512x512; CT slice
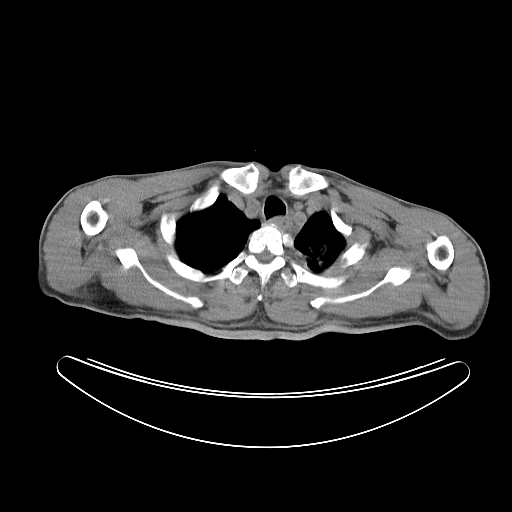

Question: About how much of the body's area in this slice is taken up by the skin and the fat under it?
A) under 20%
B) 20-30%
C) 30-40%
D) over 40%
Answer: A) under 20%
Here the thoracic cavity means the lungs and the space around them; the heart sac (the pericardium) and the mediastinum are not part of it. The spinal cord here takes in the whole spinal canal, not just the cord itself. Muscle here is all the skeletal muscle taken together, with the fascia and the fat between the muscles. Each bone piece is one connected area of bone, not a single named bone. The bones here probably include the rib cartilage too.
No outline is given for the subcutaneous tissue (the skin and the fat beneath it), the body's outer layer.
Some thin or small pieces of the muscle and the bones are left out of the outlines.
The mediastinum is outlined by [[269,190],[274,190],[286,196],[299,198],[303,200],[313,198],[319,202],[319,204],[323,209],[313,212],[293,237],[289,232],[284,231],[275,223],[272,222],[261,223],[257,218],[248,217],[230,201],[224,193],[230,191],[248,195],[260,194]]. The left arm is outlined by [[436,209],[451,216],[469,232],[477,241],[485,258],[489,274],[490,300],[485,317],[479,330],[472,336],[464,339],[448,340],[441,337],[435,332],[427,328],[425,305],[420,286],[420,276],[419,275],[420,253],[426,222],[430,217],[430,215]]. The spinal cord is outlined by [[264,250],[267,250],[272,255],[273,255],[273,257],[272,258],[272,259],[269,262],[268,262],[267,263],[264,263],[263,262],[261,262],[260,261],[259,261],[257,259],[257,257],[256,256],[256,255],[257,254],[258,254],[259,253],[261,253]]. The thoracic cavity appears in 2 outlined pieces: piece 1: [[220,194],[224,194],[227,199],[248,218],[257,219],[260,222],[260,225],[248,234],[245,246],[235,257],[222,266],[218,271],[213,273],[206,273],[198,268],[187,264],[181,260],[179,257],[175,247],[177,221],[188,213],[201,211],[210,207],[215,202]]; piece 2: [[322,210],[325,210],[329,213],[334,228],[345,240],[345,248],[339,253],[336,259],[324,272],[321,273],[315,273],[302,267],[300,265],[294,252],[294,247],[295,246],[294,238],[296,236],[296,234],[301,229],[303,225],[311,215],[315,212],[318,212]]. The torso is outlined by [[220,159],[257,160],[271,170],[276,170],[288,162],[327,168],[404,200],[434,208],[425,222],[419,253],[419,286],[426,328],[409,325],[367,333],[326,332],[300,340],[237,339],[87,309],[96,282],[114,253],[120,236],[122,195],[111,174],[144,173]]. The muscle is outlined by [[223,164],[245,164],[225,167],[218,175],[241,193],[220,193],[216,181],[179,219],[171,212],[159,218],[162,238],[175,248],[165,259],[179,276],[239,285],[252,270],[263,289],[281,270],[289,288],[342,285],[346,275],[322,273],[335,261],[344,269],[356,264],[369,243],[355,241],[346,248],[352,226],[335,208],[329,212],[313,197],[303,199],[286,195],[274,189],[252,193],[260,174],[255,164],[272,175],[295,165],[288,171],[287,188],[290,193],[292,195],[296,197],[300,197],[323,190],[329,186],[323,174],[310,170],[317,170],[451,221],[475,247],[483,273],[484,300],[475,319],[459,329],[416,312],[324,321],[301,329],[259,314],[243,322],[206,323],[51,287],[43,245],[53,216],[71,193],[110,178],[135,180]]; inner edges: [[393,266],[410,267],[411,268],[410,276],[399,285],[394,285],[390,282],[387,282],[382,284],[366,296],[341,303],[325,303],[319,308],[315,308],[310,304],[310,301],[312,299],[319,296],[342,296],[358,293],[366,290],[381,280],[384,277],[387,271]], then [[120,247],[133,248],[136,252],[139,262],[153,279],[169,289],[180,294],[185,296],[198,297],[203,302],[203,305],[201,307],[194,308],[190,304],[165,293],[151,284],[145,278],[139,268],[136,266],[132,266],[128,269],[124,269],[115,253],[115,250]], then [[438,235],[446,235],[451,241],[452,245],[453,246],[453,249],[454,250],[453,260],[449,267],[445,270],[439,270],[435,267],[434,267],[429,262],[429,260],[427,257],[427,250],[426,249],[426,244],[429,241],[433,240],[436,237],[436,236]], then [[91,200],[98,200],[100,202],[102,207],[106,211],[108,215],[108,218],[106,221],[106,223],[103,229],[98,233],[94,235],[91,235],[90,236],[89,235],[87,235],[83,231],[81,227],[81,224],[80,223],[80,215],[83,208],[86,205],[86,204]]. The bones appear in 11 outlined pieces: piece 1: [[262,223],[275,224],[291,235],[294,246],[289,254],[302,268],[346,276],[336,288],[304,282],[289,287],[281,269],[270,275],[263,288],[252,269],[239,284],[228,278],[194,281],[179,275],[166,259],[174,251],[187,265],[213,274],[238,255],[249,234]]; inner edge: [[264,250],[267,250],[272,255],[273,255],[273,257],[272,258],[272,259],[269,262],[268,262],[267,263],[264,263],[263,262],[261,262],[260,261],[259,261],[257,259],[257,257],[256,256],[256,255],[257,254],[258,254],[259,253],[261,253]]; piece 2: [[393,266],[410,267],[411,268],[410,276],[399,285],[394,285],[390,282],[387,282],[382,284],[366,296],[341,303],[325,303],[319,308],[315,308],[310,304],[310,301],[312,299],[319,296],[342,296],[358,293],[366,290],[381,280],[384,277],[387,271]]; piece 3: [[120,247],[133,248],[136,252],[139,262],[153,279],[169,289],[180,294],[185,296],[198,297],[203,302],[203,305],[201,307],[194,308],[190,304],[165,293],[151,284],[145,278],[139,268],[136,266],[132,266],[128,269],[124,269],[115,253],[115,250]]; piece 4: [[296,165],[300,165],[307,170],[309,170],[310,171],[312,171],[316,173],[319,173],[323,175],[328,182],[328,186],[323,189],[320,189],[319,190],[316,190],[315,191],[308,192],[300,196],[296,196],[292,194],[288,188],[288,183],[289,182],[289,171]]; piece 5: [[251,162],[257,167],[258,171],[259,172],[259,174],[258,175],[258,180],[257,181],[257,186],[255,190],[251,193],[249,193],[248,194],[244,194],[242,193],[236,188],[231,186],[222,180],[219,176],[220,172],[225,168],[227,168],[228,167],[240,167]]; piece 6: [[438,235],[446,235],[451,241],[452,245],[453,246],[453,249],[454,250],[453,260],[449,267],[445,270],[439,270],[435,267],[434,267],[429,262],[429,260],[427,257],[427,250],[426,249],[426,244],[429,241],[433,240],[436,237],[436,236]]; piece 7: [[91,200],[98,200],[100,202],[102,207],[106,211],[108,215],[108,218],[106,221],[106,223],[103,229],[98,233],[94,235],[91,235],[90,236],[89,235],[87,235],[83,231],[81,227],[81,224],[80,223],[80,215],[83,208],[86,205],[86,204]]; piece 8: [[355,242],[358,242],[359,243],[364,243],[365,242],[367,242],[368,243],[367,246],[365,248],[365,252],[364,254],[356,263],[349,265],[344,268],[343,267],[341,267],[340,263],[336,260],[338,256],[340,254],[340,253],[341,253],[345,249],[348,248]]; piece 9: [[164,213],[171,213],[173,214],[176,220],[176,232],[175,233],[175,241],[174,242],[174,247],[171,247],[165,241],[160,231],[160,218],[162,214]]; piece 10: [[216,182],[217,182],[219,184],[219,194],[216,198],[216,199],[214,201],[214,202],[210,206],[204,209],[202,209],[201,210],[197,210],[193,212],[189,212],[189,208],[190,206],[193,203],[193,202],[198,197],[204,194],[208,190],[208,189]]; piece 11: [[332,207],[334,208],[335,210],[335,212],[341,218],[341,219],[345,223],[347,224],[349,224],[351,226],[351,233],[349,235],[347,239],[345,239],[344,238],[344,237],[335,228],[333,224],[333,222],[331,218],[331,215],[330,214],[330,210]]. The right arm is outlined by [[106,175],[110,175],[113,177],[116,181],[121,195],[121,218],[118,240],[116,243],[116,247],[106,266],[95,282],[87,307],[83,308],[71,306],[53,297],[48,297],[44,295],[38,287],[37,249],[40,231],[46,216],[60,197],[68,189],[82,182]].